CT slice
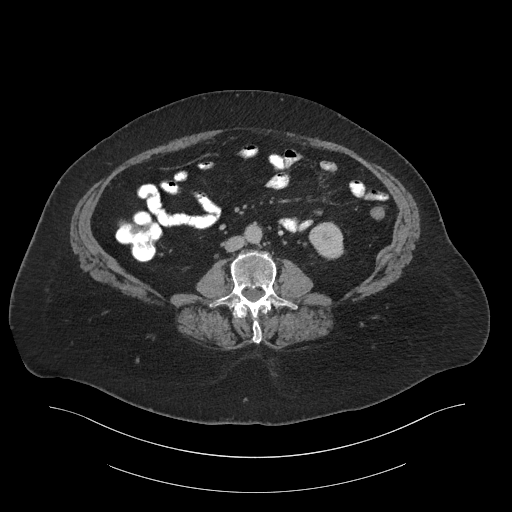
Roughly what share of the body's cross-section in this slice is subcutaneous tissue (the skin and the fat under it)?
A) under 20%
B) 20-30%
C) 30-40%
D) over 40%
Answer: D) over 40%
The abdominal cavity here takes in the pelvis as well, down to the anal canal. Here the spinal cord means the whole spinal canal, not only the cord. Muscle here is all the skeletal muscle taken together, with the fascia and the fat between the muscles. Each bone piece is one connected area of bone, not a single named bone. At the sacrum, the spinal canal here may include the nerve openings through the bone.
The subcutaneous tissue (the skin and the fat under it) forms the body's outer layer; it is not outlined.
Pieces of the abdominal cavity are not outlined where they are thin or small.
{"bones":[{"outer":[[248,250],[269,253],[277,266],[272,286],[274,291],[297,305],[295,309],[279,306],[267,313],[260,311],[257,320],[261,341],[257,344],[252,340],[253,319],[249,313],[244,317],[235,317],[225,304],[210,306],[231,292],[233,281],[229,263],[239,252]],"hole":[[246,288],[251,288],[252,289],[254,289],[255,288],[260,288],[262,290],[262,291],[263,292],[263,294],[258,299],[257,299],[256,300],[255,300],[254,301],[252,301],[251,300],[250,300],[249,299],[248,299],[243,294],[243,291]]}],"torso":[[[226,89],[270,90],[318,102],[389,143],[417,169],[435,197],[451,241],[475,271],[488,299],[489,336],[472,362],[436,373],[371,406],[284,425],[180,420],[81,382],[42,378],[28,371],[10,327],[9,297],[43,206],[61,174],[134,118],[187,96]]],"abdominal_cavity":[[[230,131],[283,137],[345,154],[385,186],[397,215],[391,241],[379,250],[367,277],[333,299],[312,291],[312,279],[290,259],[275,260],[266,250],[248,249],[229,262],[215,261],[196,282],[197,293],[176,292],[166,298],[102,247],[91,219],[116,175]]],"spinal_cord":[[[246,288],[251,288],[252,289],[254,289],[255,288],[260,288],[262,290],[262,291],[263,292],[263,294],[258,299],[257,299],[256,300],[255,300],[254,301],[252,301],[251,300],[250,300],[249,299],[248,299],[243,294],[243,291]]],"muscle":[[[233,126],[289,131],[343,145],[390,172],[417,204],[420,235],[401,278],[387,290],[337,309],[333,328],[307,347],[278,351],[260,344],[260,312],[298,308],[274,289],[276,260],[290,260],[311,279],[312,292],[338,300],[373,271],[378,253],[392,241],[398,215],[397,204],[386,186],[345,153],[303,145],[283,136],[230,130],[130,165],[111,179],[99,197],[90,219],[93,236],[127,272],[166,299],[176,293],[197,294],[197,282],[212,265],[221,259],[229,260],[227,272],[232,288],[209,306],[225,305],[235,318],[250,315],[254,343],[242,348],[216,350],[196,343],[178,331],[173,309],[146,303],[95,281],[78,265],[72,251],[71,217],[94,183],[144,150],[186,135]]]}